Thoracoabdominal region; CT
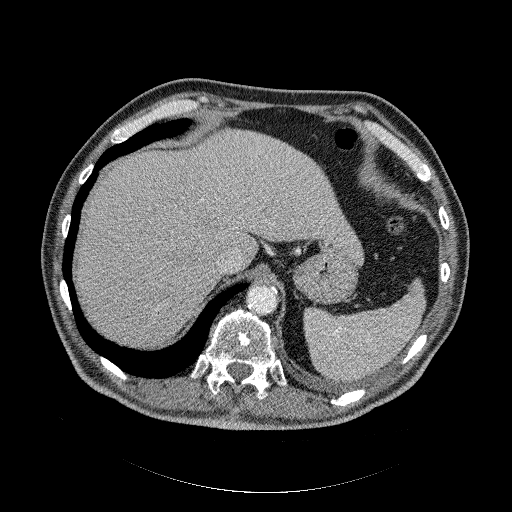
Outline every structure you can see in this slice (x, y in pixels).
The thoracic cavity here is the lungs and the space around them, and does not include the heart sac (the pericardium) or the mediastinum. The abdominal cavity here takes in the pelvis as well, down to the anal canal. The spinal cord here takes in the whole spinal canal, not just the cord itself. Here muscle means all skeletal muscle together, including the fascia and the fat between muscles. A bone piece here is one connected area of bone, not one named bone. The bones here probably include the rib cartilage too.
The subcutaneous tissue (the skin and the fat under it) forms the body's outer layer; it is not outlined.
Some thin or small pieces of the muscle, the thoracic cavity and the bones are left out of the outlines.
Outlined structures:
abdominal cavity: 272,107 363,126 379,142 379,174 441,231 437,295 419,334 393,365 357,385 332,387 277,355 280,298 263,281 224,289 179,340 151,351 104,338 77,299 72,258 80,214 106,164 183,132 188,118 162,119
bones 1: 239,307 269,324 273,348 287,379 287,385 280,385 268,373 271,385 266,389 267,395 261,399 257,397 257,389 251,384 237,389 225,381 213,395 204,374 196,378 189,376 199,355 208,344 212,325 225,313 with a hole at 232,363 239,363 240,364 246,364 247,365 249,365 252,368 252,371 251,372 251,373 250,373 247,376 242,378 240,380 237,380 236,379 235,379 228,372 228,371 227,370 227,366 229,364 231,364
bones 2: 198,96 205,96 209,101 205,103 201,103 197,109 194,109 180,115 174,115 157,120 144,127 120,143 112,144 110,142 110,136 115,129 124,125 133,119 145,114 160,104 177,99 187,99 188,98 195,99
bones 3: 364,119 370,119 377,122 405,143 428,166 431,174 430,179 427,182 423,182 418,179 403,160 398,157 389,148 386,147 380,142 363,125 360,125 358,123 358,121 360,120 361,121
bones 4: 360,388 364,388 365,389 365,393 358,400 356,401 354,401 353,402 351,402 346,405 334,405 330,403 330,400 332,398 335,398 339,395 343,393 345,393 348,391 351,391 352,390 355,390 356,389 359,389
bones 5: 423,333 425,333 427,335 427,339 426,340 424,345 421,348 421,349 415,355 414,355 405,363 402,364 401,363 401,360 406,355 408,349 410,347 410,346 412,344 412,343 414,341 414,340 420,334 422,334
bones 6: 99,355 103,356 105,358 106,358 108,360 112,362 115,365 116,365 124,372 125,372 128,376 128,379 127,380 123,380 116,375 115,375 113,373 112,373 109,370 105,368 103,366 103,365 101,363 99,359
bones 7: 61,278 63,278 65,280 66,284 67,285 67,288 68,289 68,292 69,293 69,297 70,298 70,301 71,302 72,312 71,312 68,309 67,306 62,299 62,297 60,294 60,291 59,290 59,281
bones 8: 90,163 93,163 94,164 94,166 93,167 93,168 91,171 91,173 89,175 89,176 87,178 87,179 81,185 78,183 78,179 79,178 79,175 80,174 80,173 81,172 81,171 84,168 85,168
bones 9: 68,213 70,213 70,215 71,216 71,217 70,218 70,223 69,224 69,228 68,229 68,232 67,233 67,236 64,240 63,239 63,237 62,236 62,231 61,230 61,225 62,224 62,221 63,220 65,215
spinal cord: 232,363 239,363 240,364 246,364 247,365 249,365 252,368 252,371 251,372 251,373 250,373 247,376 242,378 240,380 237,380 236,379 235,379 228,372 228,371 227,370 227,366 229,364 231,364
mediastinum 1: 380,143 386,148 389,149 398,158 403,161 410,169 415,177 425,185 425,187 429,191 429,193 437,206 437,215 441,230 435,222 432,215 420,203 399,192 388,180 384,178 380,174 377,168 375,159 375,154
mediastinum 2: 252,282 263,282 269,284 277,292 277,297 279,298 279,311 277,312 277,315 273,322 273,327 271,327 270,324 264,319 240,306 225,312 216,320 215,319 220,309 235,295 247,288 249,285 248,284 251,284
thoracic cavity 1: 182,118 190,121 183,131 120,155 97,172 81,206 72,251 71,280 87,323 104,339 138,351 173,345 218,294 248,285 219,309 190,370 145,377 124,371 84,339 63,275 64,244 75,198 102,154 155,122
thoracic cavity 2: 281,359 291,364 298,372 315,380 316,382 326,384 338,390 357,386 375,378 376,376 379,376 377,379 364,385 363,387 348,390 340,394 328,393 316,389 315,387 304,385 297,379 294,379 284,369
torso: 186,77 281,89 370,92 399,108 431,142 466,216 469,266 455,325 409,389 369,412 337,425 295,430 227,430 168,422 143,415 95,391 78,376 54,326 41,275 41,239 52,193 67,164 110,115 145,90
muscle: 184,91 204,91 222,97 227,97 228,98 239,99 246,101 266,102 267,103 323,105 324,104 342,104 354,101 363,101 370,104 379,110 386,118 409,138 420,149 428,159 435,170 449,201 449,205 452,212 457,232 457,257 458,258 457,264 458,266 455,274 454,290 452,294 452,303 449,309 449,312 441,328 428,348 417,361 416,364 396,383 344,413 338,414 333,417 327,417 322,419 302,420 301,419 290,419 289,418 280,418 279,417 254,417 246,414 222,414 217,412 191,411 183,409 167,410 166,409 152,407 141,403 119,390 102,372 98,370 93,363 89,361 74,342 72,341 61,317 57,305 56,298 53,291 53,284 52,283 52,277 53,276 52,274 53,270 52,268 52,256 54,248 57,218 59,214 59,210 62,203 62,200 68,189 73,176 81,167 89,153 112,128 138,110 155,102 157,100 171,94; inner edges: 198,96 209,100 199,110 283,107 332,120 370,119 428,166 423,183 449,220 439,248 449,276 419,331 427,335 424,345 364,385 358,400 334,405 337,393 304,385 285,369 287,385 268,373 271,385 261,399 253,385 237,389 227,381 213,395 205,375 191,378 190,370 128,373 123,380 103,366 62,299 61,225 81,171 112,145 115,129 162,103, then 355,105 359,105 360,106 362,106 366,110 366,112 365,113 363,113 362,112 359,112 358,111 357,111 356,110 355,110 354,109 354,106